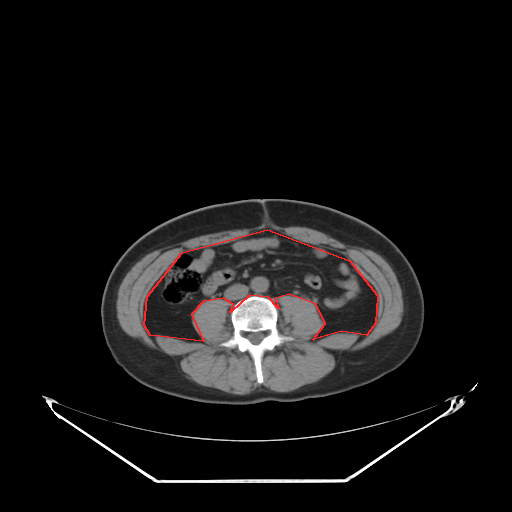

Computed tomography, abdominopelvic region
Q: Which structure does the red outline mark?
A: red: abdominal cavity.
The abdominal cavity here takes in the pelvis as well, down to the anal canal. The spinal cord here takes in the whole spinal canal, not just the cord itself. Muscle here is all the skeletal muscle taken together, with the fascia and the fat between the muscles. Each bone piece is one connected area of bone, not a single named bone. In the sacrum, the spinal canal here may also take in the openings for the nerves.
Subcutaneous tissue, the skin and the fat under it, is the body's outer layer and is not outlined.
The abdominal cavity is outlined by 267,229 349,260 377,295 375,323 366,335 341,331 313,339 325,323 316,304 289,294 275,298 278,308 268,297 249,295 230,312 233,304 223,298 203,301 191,314 203,341 150,335 144,325 147,296 182,252. The spinal cord is outlined by 250,332 264,332 266,334 265,335 265,336 260,341 260,342 259,343 258,343 257,344 253,344 246,337 246,334 247,333 249,333. The bones are outlined by 253,295 268,298 275,304 278,312 276,324 278,331 282,335 290,336 294,339 285,341 272,350 264,352 261,358 262,383 257,382 254,361 247,351 241,352 236,347 219,345 233,334 230,317 234,305 238,301, around a hole outlined by 250,332 264,332 266,334 265,335 265,336 260,341 260,342 259,343 258,343 257,344 253,344 246,337 246,334 247,333 249,333. The torso is outlined by 250,198 297,199 326,205 362,219 398,246 412,265 424,298 420,339 399,367 365,385 332,395 241,405 200,402 154,390 135,380 115,362 103,336 100,305 106,280 123,252 148,230 179,214 211,204. The muscle is outlined by 264,223 308,227 383,257 396,275 403,299 402,319 393,331 361,349 344,351 335,367 316,382 288,392 262,387 240,395 185,380 170,355 148,347 121,328 116,315 119,286 131,267 146,254 197,236 252,228, around a hole outlined by 267,229 349,260 377,295 366,335 341,331 313,339 325,323 316,304 280,295 276,326 294,339 264,352 262,383 247,351 219,345 233,334 233,304 223,298 207,299 191,314 203,341 150,335 147,296 182,252.